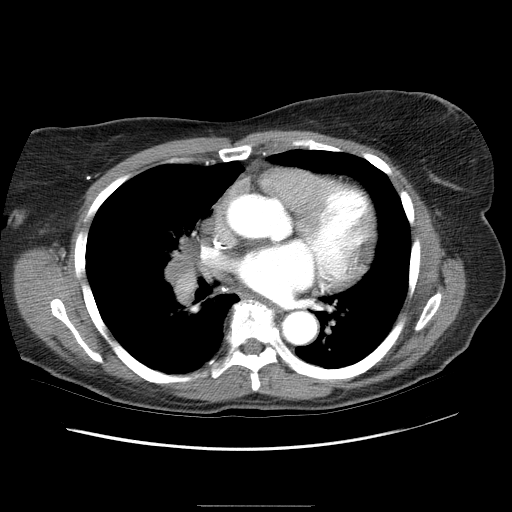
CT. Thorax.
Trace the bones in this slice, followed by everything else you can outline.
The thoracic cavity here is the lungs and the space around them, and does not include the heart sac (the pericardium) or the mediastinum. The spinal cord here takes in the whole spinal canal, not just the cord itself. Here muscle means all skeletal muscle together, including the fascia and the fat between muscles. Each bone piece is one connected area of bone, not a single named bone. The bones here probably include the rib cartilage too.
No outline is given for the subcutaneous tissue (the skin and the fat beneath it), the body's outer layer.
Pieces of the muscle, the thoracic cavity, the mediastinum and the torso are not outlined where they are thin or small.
Outlined structures:
bones 1: 87 229; 85 277; 109 335; 166 374; 208 368; 239 300; 271 309; 289 349; 327 369; 361 360; 405 322; 383 357; 351 378; 310 377; 279 359; 259 369; 257 391; 237 364; 215 378; 150 382; 116 355; 87 310; 74 265; 77 235; inner edge: 251 338; 253 338; 257 340; 263 345; 263 348; 262 350; 259 353; 257 354; 255 354; 254 353; 245 353; 243 352; 243 351; 241 349; 241 346; 243 345; 247 341; 248 339; 250 339
bones 2: 54 298; 58 298; 62 301; 68 318; 76 328; 80 336; 88 346; 91 349; 94 351; 98 352; 100 354; 103 360; 102 363; 100 363; 92 359; 77 342; 74 335; 69 328; 61 320; 58 319; 52 314; 51 307; 50 306; 50 301
bones 3: 416 237; 419 239; 419 241; 420 242; 420 263; 419 264; 419 272; 417 276; 417 280; 415 284; 414 291; 412 294; 412 296; 409 298; 407 296; 407 292; 408 291; 408 277; 409 276; 410 254; 411 253; 411 246; 412 245; 412 242
bones 4: 125 174; 130 174; 131 176; 123 183; 122 183; 106 198; 106 199; 98 208; 92 218; 89 219; 86 222; 84 222; 84 219; 86 216; 87 211; 96 196; 112 181; 113 181; 118 177; 122 176
bones 5: 245 144; 250 144; 252 145; 252 152; 251 154; 246 159; 244 159; 243 160; 232 160; 231 161; 226 161; 225 162; 221 161; 219 159; 218 157; 218 151; 220 149; 222 148; 236 147; 237 146; 240 146; 241 145; 244 145
bones 6: 438 291; 439 291; 441 293; 441 299; 440 300; 440 304; 438 308; 436 310; 435 313; 432 316; 432 317; 424 326; 424 327; 416 331; 414 329; 414 327; 427 301; 431 296; 432 296; 436 292
bones 7: 304 138; 310 138; 311 139; 313 139; 315 141; 321 142; 328 145; 331 145; 332 146; 337 147; 343 151; 330 151; 329 150; 322 150; 321 149; 308 149; 307 148; 302 148; 301 147; 293 147; 290 145; 290 142; 293 139; 303 139
bones 8: 402 189; 405 190; 408 193; 408 194; 411 198; 411 200; 413 204; 413 211; 414 212; 414 223; 412 226; 410 226; 409 224; 409 222; 407 219; 406 214; 404 211; 404 209; 403 208; 403 206; 401 202; 401 199; 399 195; 399 193
bones 9: 363 152; 368 152; 369 153; 374 154; 375 155; 378 156; 380 158; 381 158; 384 161; 385 161; 391 169; 391 174; 390 175; 387 175; 383 171; 382 171; 380 169; 379 169; 377 167; 376 167; 365 158; 362 157; 361 154
bones 10: 172 157; 192 157; 194 159; 193 160; 193 161; 192 162; 183 162; 182 163; 160 163; 161 162; 162 162; 163 161; 164 161; 165 160; 166 160; 167 159; 169 159; 170 158; 171 158
torso: 368 89; 425 91; 456 104; 473 120; 494 164; 495 188; 485 217; 502 248; 505 283; 468 347; 441 371; 394 395; 333 411; 229 408; 182 415; 113 401; 21 358; 4 303; 0 238; 12 176; 35 128; 134 116; 232 121; 302 99
mediastinum 1: 212 212; 213 252; 219 271; 274 302; 297 301; 319 295; 311 305; 319 322; 317 337; 311 343; 298 345; 292 351; 281 336; 271 308; 256 299; 240 299; 236 293; 226 292; 218 280; 211 277; 208 279; 202 274; 199 252; 200 229
mediastinum 2: 261 154; 263 156; 265 156; 267 154; 269 154; 268 154; 266 156; 266 160; 269 162; 267 161; 263 161; 260 159; 257 159; 254 162; 253 162; 245 170; 245 171; 244 171; 245 168; 240 161; 246 160; 250 156; 252 155; 260 155
thoracic cavity 1: 206 160; 239 161; 244 168; 211 206; 211 214; 199 229; 198 244; 201 274; 218 281; 226 293; 236 294; 239 299; 230 306; 217 354; 188 373; 166 373; 135 358; 103 320; 86 275; 88 233; 102 204; 130 178; 160 164; 203 164
thoracic cavity 2: 294 148; 345 152; 365 159; 388 176; 409 225; 407 291; 394 323; 373 350; 340 367; 313 364; 294 352; 318 337; 320 322; 312 307; 317 298; 349 288; 370 267; 378 237; 376 211; 366 189; 349 175; 319 173; 267 160; 272 153
spinal cord: 251 338; 253 338; 257 340; 263 345; 263 348; 262 350; 259 353; 257 354; 255 354; 254 353; 245 353; 243 352; 243 351; 241 349; 241 346; 243 345; 247 341; 248 339; 250 339
muscle: 272 129; 307 130; 318 132; 337 138; 349 139; 370 146; 385 153; 393 163; 401 170; 429 209; 431 216; 433 218; 433 224; 439 233; 441 245; 445 248; 446 253; 452 257; 457 255; 462 259; 465 270; 466 288; 461 308; 457 317; 437 340; 438 345; 437 346; 436 343; 415 365; 388 379; 361 387; 348 389; 345 391; 343 389; 335 389; 331 394; 323 397; 316 397; 313 399; 298 400; 279 399; 275 396; 254 392; 234 400; 206 402; 203 400; 187 399; 166 395; 163 393; 156 393; 155 395; 149 395; 142 392; 131 390; 118 384; 116 381; 109 381; 102 377; 98 377; 86 373; 62 359; 49 347; 46 346; 45 343; 37 337; 27 326; 18 311; 13 294; 12 274; 14 260; 24 250; 41 245; 52 247; 61 254; 63 253; 62 249; 63 248; 63 253; 65 256; 69 251; 70 239; 74 228; 74 224; 78 217; 78 212; 84 201; 83 196; 87 189; 108 169; 132 154; 154 145; 171 140; 216 136; 226 137; 234 142; 250 133; inner edges: 304 138; 359 157; 378 156; 390 167; 396 192; 411 198; 410 239; 420 242; 419 272; 394 321; 405 322; 393 345; 369 369; 344 379; 300 374; 279 359; 259 369; 257 391; 250 370; 237 364; 215 378; 184 382; 154 383; 138 375; 96 328; 83 297; 85 278; 75 273; 76 238; 90 228; 93 219; 84 219; 96 196; 118 177; 172 157; 215 163; 222 148; 250 144; 252 155; 271 154, then 54 298; 58 298; 62 301; 68 318; 76 328; 80 336; 88 346; 91 349; 94 351; 98 352; 100 354; 103 360; 102 363; 100 363; 92 359; 77 342; 74 335; 69 328; 61 320; 58 319; 52 314; 51 307; 50 306; 50 301, then 438 291; 439 291; 441 293; 441 299; 440 300; 440 304; 438 308; 436 310; 435 313; 432 316; 432 317; 424 326; 424 327; 416 331; 414 329; 414 327; 427 301; 431 296; 432 296; 436 292
pericardium: 257 160; 279 166; 301 168; 319 174; 345 176; 365 190; 375 211; 377 237; 373 250; 373 257; 369 267; 355 283; 341 291; 317 294; 315 296; 309 296; 297 300; 274 301; 260 295; 236 278; 218 269; 214 252; 213 206; 224 192